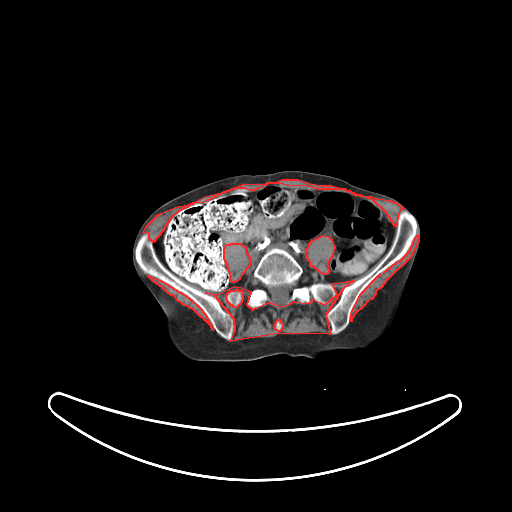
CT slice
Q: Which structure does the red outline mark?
A: red: muscle.
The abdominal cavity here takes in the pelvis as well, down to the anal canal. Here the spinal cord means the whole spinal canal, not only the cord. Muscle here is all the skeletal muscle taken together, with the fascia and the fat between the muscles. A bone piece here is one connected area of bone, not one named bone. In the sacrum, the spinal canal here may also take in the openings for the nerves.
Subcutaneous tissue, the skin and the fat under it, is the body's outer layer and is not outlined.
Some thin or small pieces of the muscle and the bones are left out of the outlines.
{"muscle":[{"outer":[[353,280],[342,289],[325,315],[330,334],[279,333],[230,341],[235,331],[234,319],[215,296],[205,292],[217,294],[233,286],[241,287],[250,291],[246,304],[252,309],[268,302],[283,306],[294,301],[309,303],[312,299],[325,304],[337,294],[332,283]],"holes":[[[236,289],[237,289],[238,290],[241,290],[242,291],[242,300],[241,301],[241,302],[236,307],[234,307],[232,305],[231,305],[229,303],[228,303],[228,302],[226,299],[226,295],[227,294],[227,293],[229,291],[230,291],[231,290],[235,290]],[[278,319],[279,319],[280,320],[280,321],[282,323],[282,327],[281,328],[281,329],[279,331],[278,331],[277,330],[276,330],[275,329],[275,323],[276,322],[276,321]]]},[[282,179],[298,179],[309,183],[321,185],[331,185],[345,189],[318,189],[307,186],[287,185],[279,183],[266,183],[265,185],[254,190],[249,190],[245,188],[238,188],[228,191],[203,202],[192,203],[188,205],[187,207],[179,210],[170,218],[162,231],[153,242],[149,238],[149,233],[143,232],[146,226],[158,214],[167,210],[178,206],[190,204],[205,196],[218,193],[242,184],[265,183],[269,181],[274,182]],[[417,235],[418,237],[417,242],[410,257],[387,279],[380,288],[377,289],[375,291],[375,294],[371,299],[367,301],[364,305],[353,315],[353,316],[351,318],[351,321],[351,314],[352,310],[361,293],[378,275],[385,271],[397,261],[400,260],[407,253],[411,247],[414,239]],[[322,235],[328,236],[331,239],[334,247],[331,257],[327,263],[327,268],[329,271],[326,274],[323,274],[321,273],[313,266],[311,266],[310,265],[310,262],[306,257],[306,255],[307,254],[306,249],[308,247],[308,245],[310,242],[312,240]],[[231,243],[239,243],[244,246],[245,247],[245,251],[249,257],[249,265],[245,269],[244,272],[241,275],[239,279],[234,282],[232,282],[230,279],[231,276],[228,267],[226,265],[226,262],[224,259],[224,249],[225,246],[226,244],[230,244]],[[148,276],[151,276],[160,280],[188,297],[201,309],[206,316],[209,323],[213,329],[212,329],[211,326],[193,309],[190,308],[188,306],[184,305],[181,302],[178,301],[173,295],[171,295],[168,293],[162,287],[154,282]],[[346,190],[349,190],[352,192],[354,192],[358,194],[361,194],[365,196],[371,196],[376,198],[390,200],[393,202],[395,202],[401,206],[403,208],[399,211],[397,215],[396,225],[395,226],[394,225],[386,212],[373,200],[365,197],[355,195],[350,191]]],"torso":[[[283,170],[309,171],[341,178],[361,188],[395,198],[415,217],[421,235],[419,248],[389,329],[369,348],[346,349],[322,359],[285,354],[250,361],[197,361],[187,358],[170,341],[162,309],[134,268],[132,245],[138,229],[156,208],[194,188],[230,176]]],"bones":[[[275,248],[284,250],[302,267],[299,287],[331,283],[336,294],[325,303],[318,303],[312,298],[309,302],[294,300],[287,303],[291,288],[287,284],[281,284],[268,289],[271,301],[254,308],[248,306],[251,291],[261,284],[253,276],[253,272],[261,257]],[[404,208],[415,217],[418,226],[417,234],[413,239],[410,247],[400,259],[378,274],[360,293],[351,310],[350,321],[348,325],[339,333],[331,334],[331,328],[326,316],[328,311],[338,301],[343,289],[346,286],[367,274],[386,255],[394,238],[398,215]],[[143,233],[148,233],[148,238],[152,241],[156,254],[177,277],[191,286],[215,297],[218,300],[221,307],[233,319],[234,331],[231,340],[229,341],[224,339],[215,331],[202,309],[188,296],[160,279],[145,274],[142,271],[135,258],[134,249],[136,242]],[[236,289],[237,289],[238,290],[241,290],[242,291],[242,300],[241,301],[241,302],[236,307],[234,307],[232,305],[231,305],[229,303],[228,303],[228,302],[226,299],[226,295],[227,294],[227,293],[229,291],[230,291],[231,290],[235,290]]],"abdominal_cavity":[{"outer":[[266,184],[345,190],[373,201],[395,227],[387,252],[359,278],[299,286],[303,267],[284,249],[275,247],[257,262],[252,276],[260,284],[253,289],[233,285],[217,293],[191,285],[177,276],[155,250],[154,242],[168,222],[192,204],[238,189],[254,191]],"hole":[[322,235],[328,236],[331,239],[334,247],[331,257],[327,263],[327,268],[329,271],[326,274],[323,274],[321,273],[313,266],[311,266],[310,265],[310,262],[306,257],[306,255],[307,254],[306,249],[308,247],[308,245],[310,242],[312,240]]}],"spinal_cord":[[[281,285],[287,285],[289,286],[290,288],[290,294],[289,295],[289,299],[288,301],[285,304],[283,305],[276,305],[274,303],[273,303],[271,300],[271,297],[269,293],[269,289],[271,287],[274,287],[275,286],[280,286]]]}